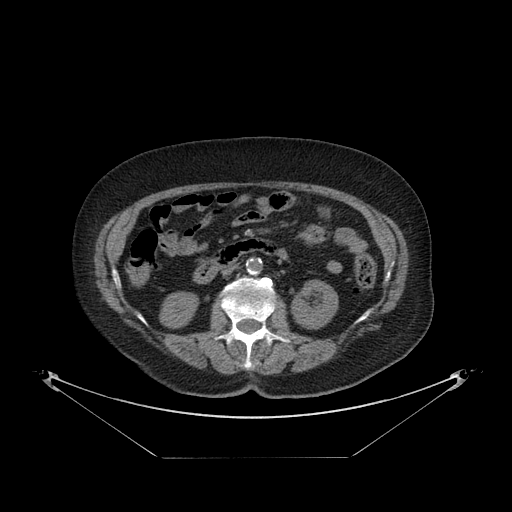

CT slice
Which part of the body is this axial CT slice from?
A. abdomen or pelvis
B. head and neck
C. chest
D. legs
A. abdomen or pelvis
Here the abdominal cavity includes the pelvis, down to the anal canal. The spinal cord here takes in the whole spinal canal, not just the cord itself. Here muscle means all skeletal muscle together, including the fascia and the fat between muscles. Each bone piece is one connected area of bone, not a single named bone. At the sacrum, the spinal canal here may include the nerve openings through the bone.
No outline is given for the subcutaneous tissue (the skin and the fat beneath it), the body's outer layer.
The spinal cord is outlined by (245, 319) (252, 319) (253, 320) (255, 320) (256, 321) (257, 321) (260, 324) (260, 326) (259, 327) (259, 328) (258, 329) (257, 329) (256, 330) (255, 330) (250, 333) (246, 333) (245, 332) (240, 330) (238, 328) (237, 325) (239, 322) (240, 322) (242, 320) (244, 320). The torso is outlined by (239, 136) (301, 137) (353, 147) (388, 163) (414, 189) (430, 228) (434, 309) (425, 335) (403, 359) (358, 385) (317, 397) (273, 399) (251, 390) (230, 397) (202, 397) (173, 391) (150, 378) (89, 323) (74, 295) (71, 245) (76, 216) (92, 186) (114, 166) (143, 151). The muscle is outlined by (270, 180) (273, 181) (294, 181) (295, 182) (312, 183) (313, 184) (323, 185) (341, 191) (344, 191) (347, 193) (349, 193) (352, 195) (361, 198) (386, 214) (396, 222) (404, 234) (405, 240) (408, 248) (408, 251) (410, 255) (409, 256) (408, 279) (402, 297) (397, 303) (396, 306) (383, 320) (382, 324) (379, 329) (366, 332) (334, 360) (323, 366) (321, 366) (307, 373) (306, 372) (305, 373) (299, 373) (298, 374) (292, 374) (291, 375) (285, 375) (284, 376) (268, 376) (267, 375) (262, 375) (257, 373) (252, 373) (251, 374) (231, 374) (230, 375) (226, 375) (225, 374) (221, 374) (216, 372) (209, 372) (205, 370) (198, 369) (195, 367) (188, 365) (186, 363) (182, 362) (147, 344) (135, 333) (134, 333) (108, 306) (106, 302) (102, 299) (102, 297) (100, 295) (100, 293) (95, 284) (94, 262) (93, 261) (95, 242) (99, 234) (99, 232) (103, 225) (121, 208) (146, 194) (152, 192) (155, 192) (159, 190) (162, 190) (166, 188) (172, 188) (173, 187) (177, 187) (183, 185) (188, 185) (189, 184) (196, 184) (197, 183) (208, 183) (209, 182) (248, 182) (249, 181) (269, 181); inner edge: (247, 186) (314, 193) (351, 206) (365, 218) (384, 270) (394, 261) (371, 313) (329, 337) (292, 331) (277, 293) (266, 327) (290, 341) (255, 341) (251, 369) (242, 366) (242, 341) (214, 338) (231, 328) (218, 294) (208, 330) (165, 333) (136, 316) (111, 274) (143, 208). The abdominal cavity is outlined by (247, 186) (314, 193) (343, 202) (359, 211) (384, 260) (385, 273) (379, 300) (341, 332) (314, 338) (290, 329) (286, 303) (269, 277) (241, 276) (228, 282) (213, 300) (208, 330) (178, 334) (165, 333) (153, 327) (125, 299) (116, 267) (141, 210) (159, 200) (186, 193). The bones appear in 5 outlined pieces: piece 1: (241, 277) (271, 280) (276, 293) (275, 308) (266, 319) (266, 327) (290, 339) (289, 342) (275, 339) (270, 345) (264, 338) (255, 341) (250, 352) (251, 369) (242, 366) (246, 359) (242, 341) (234, 339) (227, 344) (224, 339) (214, 338) (231, 328) (219, 293); inner edge: (245, 319) (252, 319) (253, 320) (255, 320) (256, 321) (257, 321) (260, 324) (260, 326) (259, 327) (259, 328) (258, 329) (257, 329) (256, 330) (255, 330) (250, 333) (246, 333) (245, 332) (240, 330) (238, 328) (237, 325) (239, 322) (240, 322) (242, 320) (244, 320); piece 2: (113, 266) (114, 266) (116, 268) (116, 269) (118, 272) (118, 274) (119, 275) (119, 278) (120, 279) (120, 282) (121, 283) (121, 290) (119, 290) (118, 289) (117, 289) (117, 288) (116, 287) (116, 286) (114, 283) (114, 281) (112, 278) (112, 275) (111, 274) (111, 268); piece 3: (371, 307) (372, 307) (373, 308) (373, 310) (371, 312) (371, 313) (365, 319) (364, 319) (362, 321) (361, 321) (360, 322) (359, 322) (358, 323) (357, 323) (354, 325) (352, 325) (352, 324) (353, 323) (353, 322) (357, 318) (358, 318) (368, 308) (370, 308); piece 4: (392, 261) (394, 261) (394, 264) (390, 268) (390, 270) (391, 271) (391, 274) (390, 275) (390, 278) (389, 279) (389, 280) (385, 284) (383, 284) (383, 280) (384, 279) (384, 276) (385, 275) (385, 274) (386, 273) (386, 272) (387, 271) (387, 270) (390, 268) (390, 264); piece 5: (136, 310) (137, 310) (139, 312) (140, 312) (140, 313) (143, 316) (143, 317) (146, 320) (146, 321) (148, 323) (148, 326) (146, 326) (136, 316) (136, 315) (135, 314) (135, 311).